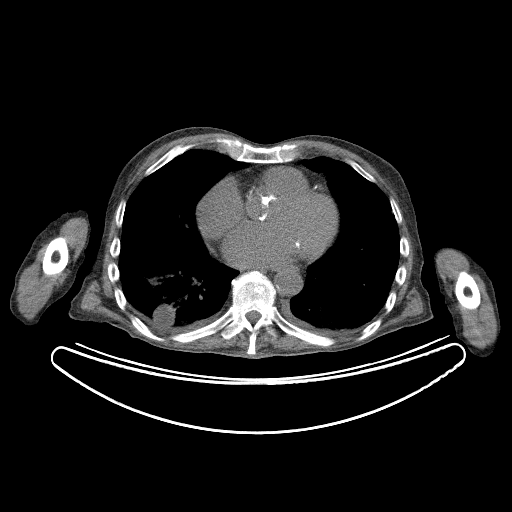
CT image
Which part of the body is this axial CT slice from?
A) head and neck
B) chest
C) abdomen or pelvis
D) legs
Answer: B) chest
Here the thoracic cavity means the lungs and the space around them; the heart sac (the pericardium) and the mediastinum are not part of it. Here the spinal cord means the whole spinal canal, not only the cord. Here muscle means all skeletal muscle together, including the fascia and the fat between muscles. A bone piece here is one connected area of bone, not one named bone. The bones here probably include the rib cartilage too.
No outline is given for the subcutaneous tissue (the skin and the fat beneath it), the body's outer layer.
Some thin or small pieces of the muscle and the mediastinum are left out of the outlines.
Outlines (x, y in pixels):
pericardium: [[262,164],[291,164],[317,175],[325,180],[325,185],[337,205],[339,212],[338,233],[333,243],[326,251],[307,265],[298,266],[295,264],[288,264],[270,265],[258,268],[234,268],[217,259],[210,253],[198,229],[196,206],[204,194],[225,176],[236,171]]
bones 1: [[252,270],[272,283],[275,305],[286,320],[335,342],[324,347],[309,343],[274,323],[275,336],[264,327],[257,331],[253,355],[246,353],[250,333],[245,328],[229,339],[217,331],[189,342],[171,340],[173,334],[197,329],[220,317],[231,304],[232,279]] with a hole at [[250,311],[256,311],[257,312],[258,312],[260,314],[260,316],[259,317],[259,318],[256,321],[255,321],[254,322],[251,322],[246,317],[246,314],[248,312],[249,312]]
bones 2: [[217,137],[237,138],[242,142],[244,143],[245,142],[252,146],[267,148],[284,143],[289,144],[297,143],[298,149],[301,154],[299,157],[291,161],[281,163],[258,163],[257,162],[240,161],[236,160],[226,153],[220,152],[216,149],[217,145],[210,141]]
bones 3: [[57,236],[62,236],[66,239],[66,243],[68,247],[68,253],[69,254],[68,261],[66,266],[58,274],[54,274],[53,275],[46,275],[43,273],[43,271],[42,270],[42,260],[43,259],[43,256],[44,255],[46,247],[49,242],[53,238]]
bones 4: [[460,271],[466,271],[469,274],[470,274],[473,277],[475,282],[477,284],[477,286],[479,290],[479,293],[480,294],[480,302],[479,303],[479,305],[475,309],[468,309],[463,307],[459,303],[455,295],[455,293],[454,292],[455,282],[457,279],[458,274]]
bones 5: [[188,143],[194,143],[195,144],[195,145],[192,148],[190,148],[186,150],[183,153],[176,156],[152,173],[146,176],[144,175],[144,172],[145,170],[167,151],[168,151],[173,146],[177,144],[187,144]]
bones 6: [[132,314],[136,317],[137,317],[140,320],[141,320],[156,335],[160,337],[163,337],[165,339],[165,340],[163,342],[161,341],[157,341],[156,340],[151,339],[143,335],[140,332],[139,332],[136,329],[136,328],[134,327],[130,320],[130,316]]
bones 7: [[378,318],[380,318],[381,319],[381,323],[380,324],[380,325],[378,327],[378,328],[371,335],[370,335],[368,337],[367,337],[360,341],[356,341],[355,340],[355,339],[360,335],[360,334],[361,333],[361,331],[366,326],[367,326],[374,320],[375,320]]
bones 8: [[347,158],[351,159],[355,161],[357,163],[358,163],[366,171],[367,171],[370,174],[371,174],[375,178],[376,182],[375,183],[374,182],[372,182],[368,180],[363,176],[362,176],[359,173],[358,173],[350,165],[349,165],[345,162],[345,159]]
bones 9: [[122,199],[124,199],[126,201],[126,204],[125,205],[125,209],[123,213],[123,218],[122,219],[122,224],[121,225],[121,227],[118,227],[116,225],[116,221],[115,220],[115,215],[116,214],[116,209],[118,206],[118,204],[119,202]]
bones 10: [[111,262],[114,262],[117,264],[117,266],[118,267],[118,270],[119,271],[119,280],[118,280],[117,281],[116,281],[114,283],[113,283],[110,280],[110,279],[108,276],[108,272],[107,271],[107,268],[108,267],[108,264]]
bones 11: [[117,287],[118,288],[120,288],[121,289],[121,291],[122,292],[122,293],[123,294],[123,295],[126,300],[126,303],[127,304],[126,305],[126,307],[124,310],[122,310],[118,306],[118,305],[116,302],[116,300],[115,299],[115,296],[114,295],[114,289]]
bones 12: [[390,197],[392,197],[394,199],[394,200],[396,202],[396,203],[399,207],[399,209],[400,210],[400,212],[402,216],[402,219],[401,220],[401,223],[400,224],[398,224],[397,223],[395,219],[395,217],[392,212],[391,205],[389,201],[389,198]]
bones 13: [[391,290],[392,290],[395,292],[395,293],[396,294],[396,298],[395,299],[395,302],[394,303],[394,305],[393,306],[393,307],[389,312],[386,313],[386,312],[385,311],[385,309],[384,308],[384,305],[385,304],[385,302],[387,299],[387,297]]
bones 14: [[116,236],[117,237],[118,237],[120,240],[120,247],[119,248],[119,254],[118,255],[118,256],[117,257],[113,257],[111,255],[111,254],[110,253],[110,246],[111,245],[111,243],[112,242],[112,240],[113,239],[113,238]]
bones 15: [[401,265],[403,265],[405,267],[405,269],[406,270],[406,273],[405,274],[405,279],[404,280],[404,281],[403,282],[403,283],[401,285],[399,285],[394,280],[394,279],[395,278],[395,275],[396,274],[396,272],[397,271],[397,269],[398,268],[398,267]]
bones 16: [[402,236],[404,236],[407,239],[407,240],[408,241],[408,244],[409,245],[409,251],[408,252],[408,254],[407,255],[407,256],[406,256],[405,257],[404,257],[403,256],[402,256],[401,255],[400,255],[400,237],[401,237]]
right arm: [[81,208],[85,209],[88,213],[91,226],[91,233],[89,243],[85,250],[85,257],[78,269],[74,283],[61,298],[53,303],[45,311],[35,325],[24,325],[16,319],[9,308],[9,298],[13,288],[15,274],[29,250],[34,238],[46,225],[64,212]]
left arm: [[444,245],[459,248],[469,254],[482,266],[492,282],[499,312],[500,329],[494,347],[491,353],[486,357],[478,357],[472,354],[466,346],[457,339],[455,335],[455,330],[452,323],[451,316],[444,303],[443,297],[438,287],[433,262],[434,252],[439,247]]
muscle 1: [[295,140],[323,141],[339,146],[358,155],[371,165],[394,190],[398,198],[399,205],[402,209],[413,245],[414,254],[409,285],[416,288],[422,299],[424,307],[422,313],[407,317],[404,320],[390,325],[372,335],[382,323],[382,319],[380,317],[376,318],[380,311],[383,308],[387,314],[395,305],[397,294],[391,289],[392,284],[394,281],[401,286],[406,279],[406,267],[403,264],[399,265],[399,259],[400,256],[404,258],[408,256],[410,245],[408,239],[404,235],[400,236],[399,234],[398,225],[402,223],[403,219],[400,207],[392,196],[388,197],[376,184],[376,178],[355,160],[347,157],[343,161],[325,155],[301,156],[302,153],[297,142],[286,142]]
muscle 2: [[74,217],[83,217],[87,222],[87,234],[84,245],[78,257],[71,265],[70,273],[62,285],[53,290],[50,297],[40,310],[31,320],[28,320],[19,312],[17,307],[16,296],[19,278],[24,269],[34,261],[42,243],[54,232],[57,232],[67,220]] with a hole at [[57,236],[62,236],[66,239],[66,243],[68,247],[68,253],[69,254],[68,261],[66,266],[58,274],[54,274],[53,275],[46,275],[43,273],[43,271],[42,270],[42,260],[43,259],[43,256],[44,255],[46,247],[49,242],[53,238]]
muscle 3: [[444,249],[451,249],[461,253],[467,259],[471,269],[479,275],[485,284],[486,291],[494,311],[496,320],[496,332],[492,342],[484,348],[478,348],[472,345],[462,333],[463,325],[460,314],[455,308],[452,300],[445,289],[437,266],[437,255],[440,251]]; inner edge: [[460,271],[466,271],[469,274],[470,274],[473,277],[475,282],[477,284],[477,286],[479,290],[479,293],[480,294],[480,302],[479,303],[479,305],[475,309],[468,309],[463,307],[459,303],[455,295],[455,293],[454,292],[455,282],[457,279],[458,274]]
muscle 4: [[115,210],[115,225],[121,228],[121,233],[112,238],[109,253],[118,260],[107,264],[107,276],[113,284],[119,284],[113,289],[117,306],[124,311],[127,305],[132,313],[129,320],[142,335],[117,320],[83,310],[79,305],[89,284],[102,274],[107,236]]
muscle 5: [[205,133],[223,133],[236,137],[217,136],[212,138],[209,141],[216,145],[215,149],[195,148],[194,147],[196,144],[194,142],[177,143],[173,145],[144,170],[144,177],[135,187],[127,200],[124,198],[120,200],[128,179],[152,151],[172,140],[185,136]]
muscle 6: [[244,329],[249,333],[248,345],[245,353],[243,353],[236,346],[198,349],[165,345],[157,342],[163,343],[166,340],[163,336],[158,335],[162,334],[172,334],[168,337],[171,341],[189,343],[215,334],[217,332],[220,332],[220,335],[224,340],[229,340]]
muscle 7: [[274,324],[287,335],[298,338],[309,344],[323,347],[305,348],[297,350],[284,350],[283,349],[278,349],[271,347],[265,351],[256,354],[256,338],[258,331],[261,328],[264,328],[270,335],[273,337],[275,337],[276,336],[276,332],[275,329],[272,327]]
muscle 8: [[358,332],[360,332],[359,335],[354,339],[356,342],[358,342],[356,343],[350,345],[342,346],[341,347],[336,347],[335,348],[325,348],[325,347],[329,347],[333,345],[336,342],[336,340],[334,338],[343,337],[344,336],[351,336],[354,334],[356,334]]
torso: [[190,126],[223,128],[259,143],[306,134],[329,135],[358,144],[390,162],[401,174],[415,211],[424,256],[421,279],[429,294],[433,317],[344,351],[259,359],[163,349],[131,337],[108,323],[71,318],[70,301],[96,255],[107,201],[121,169],[151,141]]
mediastinum 1: [[288,265],[295,265],[298,267],[307,266],[304,285],[301,291],[296,295],[291,297],[288,302],[282,301],[279,304],[276,303],[276,289],[273,283],[265,274],[257,269],[248,270],[239,274],[239,271],[236,269],[237,268],[258,269],[270,266],[287,266]]
mediastinum 2: [[300,157],[312,157],[310,158],[303,158],[301,160],[301,163],[307,168],[315,172],[323,172],[325,176],[325,179],[319,176],[317,174],[311,171],[309,171],[299,165],[296,165],[295,164],[292,164],[291,163],[282,163],[287,163],[288,162],[291,162]]
mediastinum 3: [[248,163],[257,163],[258,164],[261,164],[259,164],[258,165],[256,165],[252,167],[249,167],[248,168],[241,169],[240,170],[236,170],[235,171],[233,171],[225,175],[229,171],[233,171],[234,170],[238,170],[239,169],[245,168],[248,165]]
spinal cord: [[250,311],[256,311],[257,312],[258,312],[260,314],[260,316],[259,317],[259,318],[256,321],[255,321],[254,322],[251,322],[246,317],[246,314],[248,312],[249,312]]
thoracic cavity 1: [[193,148],[215,150],[236,161],[247,163],[245,167],[229,170],[214,183],[199,199],[194,211],[196,227],[209,255],[237,270],[238,274],[230,281],[230,304],[216,319],[184,332],[157,334],[130,310],[118,282],[118,257],[124,213],[128,199],[145,177]]
thoracic cavity 2: [[316,156],[342,161],[374,183],[388,198],[398,228],[398,266],[383,307],[375,319],[351,335],[331,337],[304,329],[286,319],[276,305],[288,303],[302,291],[308,266],[335,243],[340,231],[339,208],[327,185],[324,172],[315,171],[302,163],[303,159]]